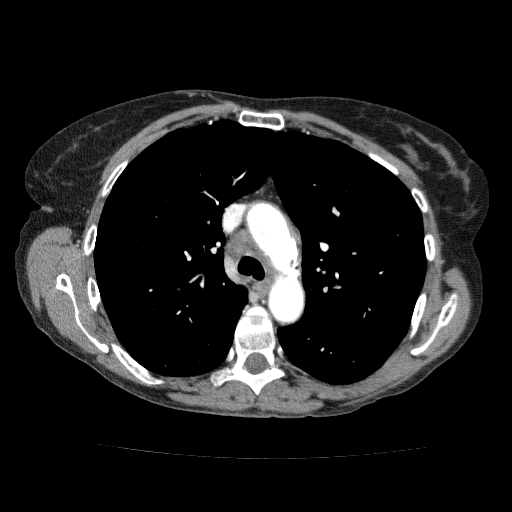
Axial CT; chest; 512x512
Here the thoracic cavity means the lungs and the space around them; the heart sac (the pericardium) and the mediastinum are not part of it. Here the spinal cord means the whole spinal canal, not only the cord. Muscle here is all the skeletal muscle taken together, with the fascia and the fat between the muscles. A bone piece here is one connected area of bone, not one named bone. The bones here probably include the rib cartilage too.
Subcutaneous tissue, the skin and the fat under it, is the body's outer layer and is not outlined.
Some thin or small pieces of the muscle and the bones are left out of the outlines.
mediastinum: 270,173 283,207 300,232 302,243 301,283 305,294 304,310 300,319 291,325 278,327 276,335 266,309 258,304 246,304 248,301 246,288 234,282 228,275 224,264 226,237 222,230 222,216 226,206 256,190
thoracic cavity: 221,118 338,140 409,190 422,219 423,282 406,333 366,377 317,379 278,342 278,328 303,316 306,294 301,232 270,172 221,216 225,271 247,292 223,363 193,375 158,375 120,344 95,277 106,199 150,144
spinal cord: 253,353 259,353 261,354 265,358 267,362 267,364 268,365 268,366 266,368 265,368 263,370 262,370 258,373 251,373 245,367 244,365 245,363 245,361 248,357 248,356 250,354 252,354
bones 1: 246,305 258,305 265,309 271,320 277,342 281,346 285,357 291,364 291,371 285,376 274,379 265,384 257,395 247,384 239,380 228,380 219,386 213,386 209,380 210,372 224,363 224,360 233,344 237,322; inner edge: 253,353 259,353 261,354 265,358 267,362 267,364 268,365 268,366 266,368 265,368 263,370 262,370 258,373 251,373 245,367 244,365 245,363 245,361 248,357 248,356 250,354 252,354
bones 2: 62,272 67,274 70,279 78,316 86,330 100,342 108,345 112,342 118,343 140,365 155,375 163,376 164,383 148,385 142,382 119,361 111,350 106,353 103,352 86,336 75,320 70,296 55,286 56,277
bones 3: 244,108 247,109 253,109 254,110 263,111 264,112 270,112 271,111 277,111 280,112 283,115 285,119 285,127 280,130 273,130 266,127 256,127 255,126 245,126 242,125 238,122 236,118 236,114
bones 4: 453,292 457,294 457,305 455,311 448,323 446,325 442,326 438,330 434,339 425,350 417,355 413,355 411,354 410,353 410,350 411,349 421,345 429,337 437,323 438,316 441,311 443,305 447,301 450,294
bones 5: 421,291 424,291 426,293 426,303 425,304 424,311 419,321 418,327 414,335 411,338 408,338 407,335 408,334 408,331 410,327 410,320 411,319 411,316 412,315 412,313 413,312 413,310 414,309 416,301
bones 6: 89,275 91,275 95,278 95,280 97,284 97,287 98,288 98,291 99,292 99,295 101,299 101,304 96,311 93,310 89,304 89,300 88,299 88,296 87,295 87,288 86,287 86,285 87,284 87,278
bones 7: 126,158 127,158 129,160 129,162 118,176 117,179 113,184 111,188 111,190 109,192 108,195 106,197 102,197 101,196 101,191 102,190 102,187 105,183 106,180 108,178 110,173 119,163 120,163
bones 8: 94,222 97,223 97,232 96,233 96,236 95,237 95,244 94,245 94,248 93,249 92,253 90,255 87,256 85,255 84,253 84,249 83,248 84,237 85,236 85,234 86,233 87,229 90,226 90,225
bones 9: 426,232 430,232 433,235 433,237 434,238 434,239 435,240 435,242 436,243 436,245 435,246 435,255 434,256 434,258 430,262 427,262 427,260 426,259 426,257 425,256 425,248 424,247 424,235
bones 10: 413,186 416,186 418,187 423,192 426,198 426,200 427,201 427,205 428,207 427,208 427,211 424,214 422,214 420,209 418,207 410,191 410,189 411,187
bones 11: 367,151 371,151 374,153 376,153 378,154 385,160 386,160 388,162 394,165 397,168 399,172 399,177 398,177 396,175 392,173 388,169 387,169 385,167 384,167 373,159 370,158 366,154 366,152
muscle: 219,100 251,108 242,108 236,119 209,118 176,127 131,160 126,157 119,162 102,185 100,196 106,198 98,222 92,222 83,237 83,253 92,254 95,276 87,276 85,287 91,309 96,312 102,303 119,343 100,341 83,325 67,273 60,272 54,285 69,296 74,320 85,336 103,353 111,351 148,386 164,384 164,376 209,372 213,387 239,381 257,396 265,385 291,372 292,365 328,384 358,382 384,364 407,332 408,339 415,335 427,303 422,290 427,263 435,258 437,245 434,235 424,232 422,215 429,207 424,192 416,185 409,189 398,168 376,152 364,153 308,129 285,128 280,111 264,111 286,108 317,113 371,139 421,180 440,233 443,268 461,270 472,301 463,331 445,352 402,383 353,405 330,401 303,413 225,410 175,401 109,371 37,312 26,274 27,251 35,236 49,226 67,225 79,238 102,172 116,150 170,112, around a hole outlined by 453,292 457,294 457,305 455,311 448,323 446,325 442,326 438,330 434,339 425,350 417,355 413,355 411,354 410,353 410,350 411,349 421,345 429,337 437,323 438,316 441,311 443,305 447,301 450,294
torso: 192,88 256,97 367,100 406,111 455,137 482,167 490,193 473,241 483,304 461,348 414,387 351,413 250,418 175,410 141,399 38,329 18,294 13,265 20,229 39,206 24,185 29,159 50,136 89,113